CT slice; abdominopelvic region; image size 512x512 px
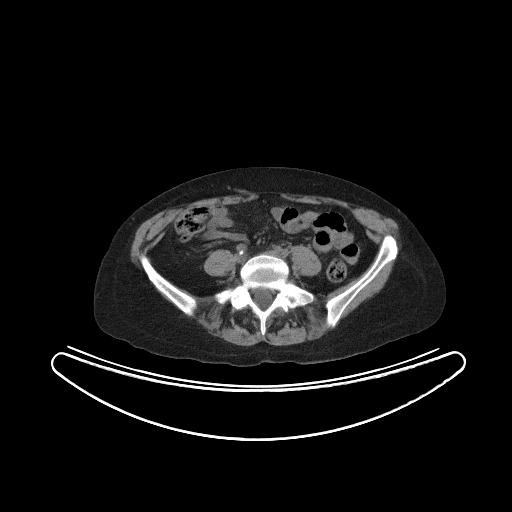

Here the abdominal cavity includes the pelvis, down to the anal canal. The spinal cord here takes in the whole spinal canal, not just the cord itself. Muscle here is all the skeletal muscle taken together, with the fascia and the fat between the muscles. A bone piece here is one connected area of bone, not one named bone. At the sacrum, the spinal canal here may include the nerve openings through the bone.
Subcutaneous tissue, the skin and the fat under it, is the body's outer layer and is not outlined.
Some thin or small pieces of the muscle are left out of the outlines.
Outlines (x, y in pixels):
muscle 1: [[364,272],[325,302],[325,323],[332,329],[318,339],[290,345],[243,346],[209,334],[189,317],[198,307],[196,298],[179,288],[198,296],[213,294],[217,303],[228,302],[236,310],[249,309],[263,336],[276,310],[286,313],[311,304],[314,294],[327,294]]
muscle 2: [[257,190],[278,190],[288,194],[330,197],[373,209],[393,219],[399,229],[402,247],[384,286],[338,323],[355,297],[397,257],[399,252],[397,240],[392,234],[387,233],[383,236],[378,249],[378,245],[366,234],[363,225],[349,209],[333,203],[294,201],[268,193],[239,203],[197,205],[178,214],[149,251],[150,259],[144,251],[140,253],[138,258],[146,277],[130,257],[135,232],[141,223],[170,206],[212,197],[241,195]]
muscle 3: [[298,246],[304,246],[309,250],[311,250],[317,256],[317,257],[319,259],[321,263],[321,269],[317,274],[313,276],[299,276],[298,277],[296,277],[294,276],[292,272],[292,270],[291,269],[291,254],[290,253],[293,249],[293,248],[295,247],[297,247]]
muscle 4: [[218,249],[225,249],[226,250],[228,250],[231,252],[232,254],[233,254],[233,257],[235,260],[235,266],[233,269],[230,271],[228,274],[224,276],[212,276],[208,274],[203,268],[203,265],[206,258],[215,250],[217,250]]
muscle 5: [[155,288],[161,294],[162,294],[164,296],[165,296],[165,297],[170,302],[171,302],[171,303],[170,302],[169,302],[167,300],[166,300],[155,289]]
torso: [[247,166],[289,166],[332,174],[362,185],[400,208],[428,243],[443,271],[446,303],[439,319],[418,333],[370,351],[311,364],[263,362],[234,366],[171,358],[134,347],[103,332],[93,317],[93,287],[100,261],[120,224],[140,205],[177,184],[207,173]]
spinal cord: [[250,288],[251,288],[252,289],[262,289],[263,290],[276,290],[277,291],[277,293],[276,294],[276,295],[273,298],[273,299],[272,300],[271,303],[265,309],[261,309],[259,307],[259,306],[254,301],[253,298],[251,296],[251,295],[249,292],[249,289]]
bones 1: [[260,253],[270,254],[285,261],[289,268],[288,279],[314,296],[311,303],[290,308],[286,312],[276,309],[267,318],[263,335],[258,318],[249,308],[236,309],[228,301],[221,304],[214,298],[216,292],[237,286],[241,281],[240,269],[242,265],[249,258]] with a hole at [[250,288],[251,288],[252,289],[262,289],[263,290],[276,290],[277,291],[277,293],[276,294],[276,295],[273,298],[273,299],[272,300],[271,303],[265,309],[261,309],[259,307],[259,306],[254,301],[253,298],[251,296],[251,295],[249,292],[249,289]]
bones 2: [[387,234],[392,235],[396,240],[398,247],[398,252],[396,257],[388,262],[376,276],[354,297],[341,314],[336,325],[334,327],[329,327],[326,323],[326,313],[327,312],[325,306],[326,302],[332,297],[346,290],[365,273],[374,261],[382,240],[384,236]]
bones 3: [[143,252],[144,252],[148,257],[155,269],[162,276],[179,289],[193,296],[195,298],[197,302],[197,307],[195,309],[192,316],[188,316],[180,310],[172,303],[165,295],[161,293],[148,279],[148,277],[140,262],[140,259],[139,258],[141,253]]
abdominal cavity: [[262,194],[308,204],[333,204],[349,210],[377,245],[373,260],[357,277],[327,293],[313,293],[289,279],[290,268],[285,260],[260,252],[241,265],[237,285],[198,295],[175,285],[153,265],[150,251],[165,235],[171,222],[184,211],[203,205],[249,202]], around a hole outlined by [[298,246],[304,246],[309,250],[311,250],[317,256],[317,257],[319,259],[321,263],[321,269],[317,274],[313,276],[299,276],[298,277],[296,277],[294,276],[292,272],[292,270],[291,269],[291,254],[290,253],[293,249],[293,248],[295,247],[297,247]]